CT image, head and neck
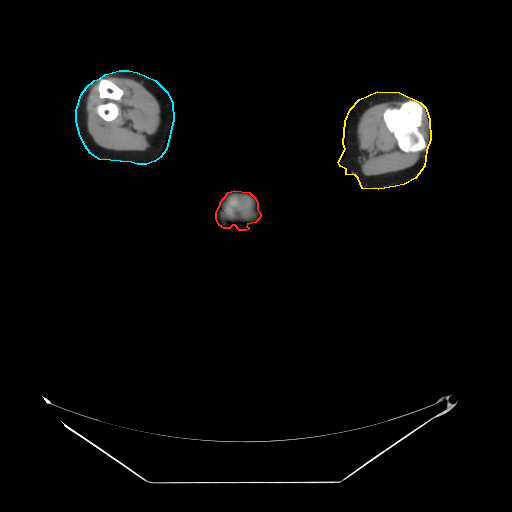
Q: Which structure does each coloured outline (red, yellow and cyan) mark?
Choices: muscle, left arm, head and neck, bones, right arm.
A: red: head and neck; yellow: left arm; cyan: right arm.
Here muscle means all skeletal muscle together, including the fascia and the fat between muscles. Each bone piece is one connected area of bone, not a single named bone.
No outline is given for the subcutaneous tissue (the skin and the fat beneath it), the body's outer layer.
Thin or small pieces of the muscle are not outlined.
{"head_and_neck":[[[234,190],[249,192],[255,198],[257,203],[257,208],[260,215],[259,218],[255,222],[247,224],[246,226],[248,227],[248,229],[246,230],[239,230],[235,225],[232,225],[229,228],[224,228],[219,225],[216,218],[216,212],[220,205],[220,202],[228,192]]],"left_arm":[[[377,91],[399,92],[420,102],[425,107],[429,119],[430,139],[426,150],[424,166],[415,178],[404,184],[395,186],[378,189],[362,188],[358,178],[355,175],[346,174],[346,169],[340,166],[338,162],[345,149],[343,143],[345,121],[350,109],[359,99]]],"right_arm":[[[119,70],[128,70],[137,72],[155,80],[167,92],[172,103],[173,119],[166,149],[160,157],[154,161],[146,164],[137,164],[131,162],[99,159],[90,153],[85,146],[79,133],[76,120],[76,110],[81,94],[86,87],[94,80],[100,78],[105,74]]],"bones":[[[410,99],[419,102],[423,106],[424,112],[422,115],[421,125],[418,129],[423,135],[423,137],[427,143],[427,146],[425,149],[420,151],[409,151],[406,152],[403,151],[398,146],[396,138],[386,126],[383,119],[383,113],[387,108],[398,108],[402,103]],[[100,78],[109,79],[122,89],[123,91],[123,94],[120,99],[114,101],[118,106],[119,114],[115,119],[111,121],[106,121],[96,111],[97,105],[101,103],[104,103],[107,100],[106,99],[102,99],[99,97],[99,93],[97,87],[98,86],[98,81]]],"muscle":[[[109,76],[127,77],[142,82],[160,105],[159,127],[152,143],[143,151],[105,150],[94,143],[87,131],[85,104],[94,84],[97,83],[98,97],[106,100],[96,105],[96,113],[106,122],[115,120],[120,114],[115,101],[121,99],[124,91],[107,78]],[[403,99],[407,100],[402,102],[398,107],[387,107],[382,113],[382,119],[387,129],[395,138],[397,146],[406,153],[422,151],[420,157],[414,165],[404,170],[387,175],[366,176],[363,174],[357,160],[360,153],[358,150],[356,133],[359,117],[372,104]],[[232,192],[248,193],[255,198],[255,200],[257,203],[257,210],[259,212],[259,217],[255,221],[252,221],[251,222],[253,223],[238,223],[236,221],[235,223],[227,223],[224,224],[220,221],[218,217],[218,212],[220,210],[220,205],[226,196],[229,193]]]}